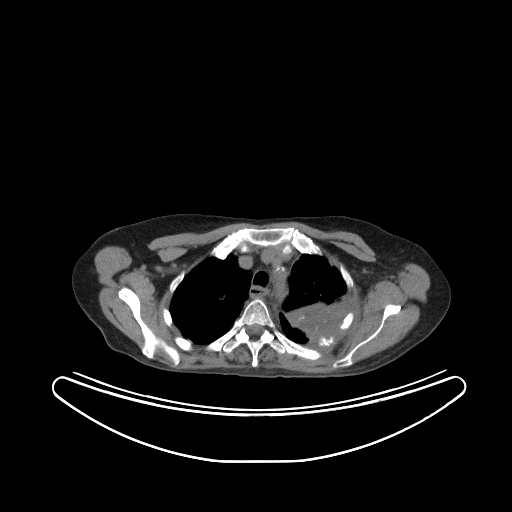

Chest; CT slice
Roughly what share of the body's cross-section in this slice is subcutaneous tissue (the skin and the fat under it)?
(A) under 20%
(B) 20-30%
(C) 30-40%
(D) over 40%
(B) 20-30%
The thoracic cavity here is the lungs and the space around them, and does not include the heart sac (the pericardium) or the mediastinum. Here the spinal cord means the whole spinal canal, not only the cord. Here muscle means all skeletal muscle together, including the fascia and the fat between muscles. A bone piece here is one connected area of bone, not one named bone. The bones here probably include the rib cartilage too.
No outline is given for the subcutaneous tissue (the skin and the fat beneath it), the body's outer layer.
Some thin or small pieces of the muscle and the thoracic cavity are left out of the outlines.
mediastinum: (254, 245) (281, 246) (283, 254) (288, 254) (293, 249) (302, 254) (291, 268) (288, 278) (289, 292) (281, 304) (281, 310) (274, 314) (260, 297) (255, 297) (244, 305) (248, 297) (251, 273) (240, 267) (237, 257) (230, 253) (235, 249) (243, 253) (249, 252) (251, 246)
spinal cord: (254, 324) (257, 324) (258, 325) (259, 325) (260, 326) (261, 326) (262, 327) (262, 332) (261, 333) (261, 334) (257, 338) (256, 338) (255, 339) (254, 338) (251, 338) (251, 337) (247, 333) (247, 328) (249, 326) (250, 326) (251, 325) (253, 325)
bones 1: (255, 298) (263, 300) (277, 328) (286, 337) (298, 344) (317, 350) (321, 356) (312, 360) (287, 352) (280, 354) (268, 344) (264, 344) (257, 353) (257, 366) (253, 367) (251, 364) (252, 354) (244, 343) (229, 353) (222, 350) (205, 350) (206, 345) (232, 327) (245, 305) with a hole at (254, 324) (257, 324) (258, 325) (259, 325) (260, 326) (261, 326) (262, 327) (262, 332) (261, 333) (261, 334) (257, 338) (256, 338) (255, 339) (254, 338) (251, 338) (251, 337) (247, 333) (247, 328) (249, 326) (250, 326) (251, 325) (253, 325)
bones 2: (273, 227) (296, 228) (311, 238) (321, 248) (323, 255) (302, 253) (295, 248) (293, 248) (288, 253) (283, 253) (281, 245) (258, 246) (254, 244) (250, 246) (249, 251) (245, 252) (235, 248) (223, 259) (210, 255) (211, 250) (227, 235) (234, 231) (241, 228) (261, 229)
bones 3: (124, 286) (131, 289) (139, 298) (140, 316) (148, 327) (157, 337) (163, 339) (169, 345) (177, 349) (180, 358) (177, 365) (174, 365) (169, 355) (161, 348) (156, 349) (153, 359) (142, 353) (140, 348) (144, 343) (144, 338) (141, 328) (130, 307) (118, 296) (118, 291)
bones 4: (390, 303) (399, 304) (401, 306) (398, 313) (389, 315) (385, 319) (380, 331) (369, 341) (361, 345) (353, 353) (352, 355) (353, 363) (351, 365) (345, 367) (334, 368) (332, 365) (334, 361) (343, 357) (358, 343) (364, 340) (377, 329) (381, 322) (384, 308) (387, 304)
bones 5: (179, 335) (181, 335) (184, 338) (185, 338) (186, 339) (189, 339) (193, 343) (193, 345) (192, 346) (192, 349) (191, 350) (183, 350) (182, 349) (181, 349) (180, 348) (179, 348) (175, 344) (175, 343) (174, 342) (174, 337) (175, 336) (178, 336)
bones 6: (339, 263) (342, 263) (345, 266) (345, 267) (348, 270) (349, 273) (351, 275) (351, 276) (353, 279) (353, 286) (350, 289) (348, 289) (348, 288) (346, 285) (346, 283) (344, 281) (344, 280) (341, 275) (341, 273) (338, 268) (338, 266) (339, 265)
bones 7: (182, 271) (184, 271) (185, 272) (185, 275) (183, 279) (179, 283) (179, 284) (177, 286) (177, 287) (175, 289) (173, 293) (171, 294) (169, 290) (169, 286) (170, 285) (170, 283) (171, 281) (178, 274) (179, 274)
bones 8: (349, 312) (352, 312) (353, 313) (353, 319) (352, 320) (352, 321) (351, 322) (350, 325) (347, 328) (346, 328) (345, 329) (341, 329) (339, 327) (339, 326) (340, 325) (340, 324) (342, 322) (342, 321) (343, 320) (344, 317) (347, 314) (347, 313) (348, 313)
bones 9: (163, 308) (167, 308) (169, 310) (169, 312) (171, 315) (171, 318) (172, 319) (172, 322) (173, 323) (171, 326) (169, 326) (168, 325) (167, 325) (166, 324) (166, 323) (164, 321) (164, 319) (163, 318) (163, 312) (162, 311) (162, 310) (163, 309)
bones 10: (322, 336) (323, 337) (325, 337) (326, 338) (328, 338) (330, 336) (333, 336) (334, 337) (334, 343) (332, 343) (331, 344) (330, 344) (329, 345) (323, 345) (322, 346) (320, 346) (318, 344) (318, 342) (319, 341) (319, 340) (320, 339) (320, 338)
torso: (175, 213) (256, 219) (345, 215) (371, 222) (419, 244) (430, 254) (449, 282) (449, 308) (437, 327) (419, 344) (394, 361) (359, 375) (331, 378) (259, 378) (175, 373) (144, 365) (112, 350) (106, 344) (100, 331) (74, 297) (72, 269) (76, 260) (105, 232) (122, 225)
muscle: (291, 221) (323, 231) (359, 235) (376, 258) (366, 262) (351, 257) (348, 262) (363, 292) (395, 276) (405, 263) (426, 270) (430, 285) (418, 321) (402, 339) (381, 352) (355, 363) (353, 355) (381, 331) (389, 316) (399, 313) (402, 306) (390, 302) (384, 306) (376, 329) (333, 361) (334, 369) (342, 368) (325, 373) (256, 368) (264, 345) (280, 355) (317, 360) (322, 353) (307, 346) (334, 344) (335, 337) (330, 335) (338, 328) (347, 329) (354, 319) (354, 313) (348, 312) (349, 290) (354, 286) (349, 270) (342, 262) (337, 267) (332, 265) (322, 248) (293, 226) (234, 230) (210, 250) (209, 256) (187, 273) (182, 270) (168, 286) (171, 299) (168, 308) (161, 311) (165, 324) (179, 330) (180, 334) (173, 337) (174, 344) (183, 351) (203, 344) (207, 352) (227, 354) (244, 344) (251, 354) (250, 368) (177, 369) (154, 359) (161, 349) (177, 366) (180, 353) (144, 321) (140, 298) (128, 286) (122, 286) (117, 296) (129, 307) (140, 328) (143, 343) (139, 348) (100, 308) (94, 257) (105, 246) (123, 247) (133, 260) (155, 265) (162, 263) (147, 244) (157, 237) (202, 233) (232, 223)
thoracic cavity 1: (229, 254) (232, 254) (236, 257) (237, 264) (240, 268) (247, 270) (250, 273) (247, 297) (243, 301) (244, 306) (231, 327) (223, 334) (207, 344) (194, 343) (189, 338) (184, 337) (173, 322) (169, 309) (172, 295) (186, 274) (206, 258) (210, 256) (223, 260)
thoracic cavity 2: (303, 254) (325, 256) (329, 263) (338, 269) (349, 293) (348, 310) (338, 327) (327, 337) (322, 335) (317, 342) (312, 345) (306, 346) (286, 336) (278, 328) (276, 322) (272, 317) (272, 315) (277, 314) (282, 310) (282, 304) (290, 292) (289, 278) (292, 268) (295, 262)